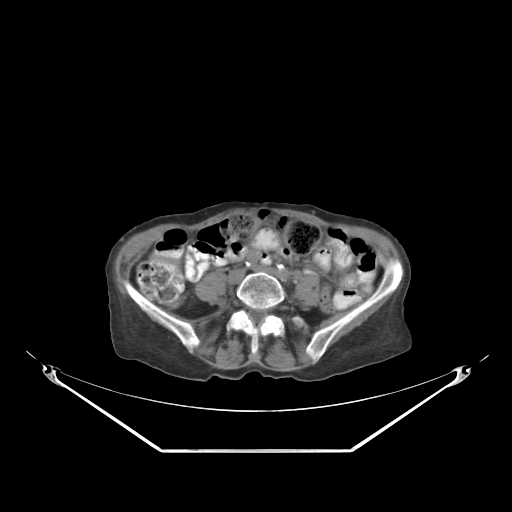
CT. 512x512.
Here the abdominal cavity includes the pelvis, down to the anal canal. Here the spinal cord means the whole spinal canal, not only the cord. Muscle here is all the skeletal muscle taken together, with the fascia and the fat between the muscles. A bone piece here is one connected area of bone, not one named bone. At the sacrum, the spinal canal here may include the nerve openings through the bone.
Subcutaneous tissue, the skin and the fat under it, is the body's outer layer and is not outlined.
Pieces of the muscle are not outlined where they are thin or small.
The spinal cord is outlined by [[249,309],[253,309],[254,310],[265,310],[266,311],[267,311],[268,312],[267,313],[267,314],[263,318],[263,320],[260,323],[259,323],[257,325],[256,324],[255,324],[251,320],[251,319],[249,317],[249,315],[248,314],[248,310]]. The torso is outlined by [[227,200],[310,203],[372,220],[389,230],[403,245],[411,264],[411,280],[404,301],[411,348],[385,361],[311,382],[263,377],[256,372],[239,380],[214,376],[204,382],[194,381],[117,356],[110,339],[104,273],[112,245],[128,229],[153,217],[192,212]]. The bones appear in 4 outlined pieces: piece 1: [[258,271],[264,271],[274,276],[285,291],[285,298],[277,311],[282,317],[285,327],[281,335],[275,336],[270,333],[260,336],[257,352],[253,354],[251,336],[242,330],[227,330],[226,323],[230,315],[239,307],[240,301],[236,296],[237,286],[247,274]], around a hole outlined by [[249,309],[253,309],[254,310],[265,310],[266,311],[267,311],[268,312],[267,313],[267,314],[263,318],[263,320],[260,323],[259,323],[257,325],[256,324],[255,324],[251,320],[251,319],[249,317],[249,315],[248,314],[248,310]]; piece 2: [[389,258],[399,259],[403,268],[403,274],[401,280],[396,288],[391,293],[384,296],[362,311],[339,330],[330,341],[323,355],[316,363],[313,364],[311,358],[306,353],[306,347],[312,334],[316,330],[331,324],[367,299],[377,288],[382,278],[384,267]]; piece 3: [[124,280],[129,281],[142,295],[169,314],[178,319],[188,322],[191,324],[195,331],[195,333],[197,335],[200,341],[200,343],[193,349],[192,353],[190,353],[188,351],[188,350],[182,344],[179,338],[173,332],[150,317],[132,299],[128,294],[124,286]]; piece 4: [[294,315],[298,315],[299,316],[300,316],[302,318],[303,318],[303,319],[304,320],[304,323],[301,326],[298,326],[297,325],[295,325],[291,321],[291,320],[290,319],[290,318],[292,316],[293,316]]. The muscle appears in 2 outlined pieces: piece 1: [[212,271],[220,271],[225,274],[228,291],[239,301],[238,307],[229,315],[225,329],[227,331],[242,331],[249,335],[250,352],[253,355],[258,352],[260,337],[270,334],[278,337],[284,334],[286,325],[283,317],[278,313],[279,306],[287,298],[292,297],[298,281],[303,276],[312,275],[318,279],[319,300],[306,310],[298,308],[292,299],[287,302],[293,308],[294,314],[289,319],[295,326],[301,327],[305,320],[314,326],[336,313],[345,313],[311,334],[305,347],[305,353],[313,365],[295,371],[275,371],[259,365],[249,365],[237,369],[214,368],[191,354],[201,343],[192,324],[169,313],[187,318],[199,318],[215,311],[218,308],[217,305],[201,300],[194,291],[202,278]]; piece 2: [[259,206],[303,211],[312,213],[325,221],[363,226],[376,230],[391,240],[401,256],[405,271],[401,287],[396,296],[389,299],[365,321],[341,337],[327,350],[331,341],[339,331],[362,312],[391,294],[399,285],[404,274],[403,264],[399,258],[389,257],[383,268],[377,251],[367,241],[359,236],[351,235],[335,226],[309,223],[261,207],[257,210],[226,216],[201,228],[185,229],[181,227],[172,227],[162,233],[131,267],[129,272],[130,281],[127,279],[123,280],[123,286],[131,299],[150,318],[159,324],[149,319],[143,313],[137,311],[136,308],[123,298],[118,291],[113,279],[113,262],[121,246],[134,234],[159,224],[178,223],[190,225],[231,208],[249,208]]. The abdominal cavity is outlined by [[261,208],[338,228],[376,251],[381,278],[348,311],[314,325],[294,313],[291,300],[302,311],[320,300],[312,274],[285,299],[264,270],[247,273],[235,295],[223,271],[209,271],[193,291],[217,308],[199,317],[166,311],[132,283],[132,267],[170,229]].